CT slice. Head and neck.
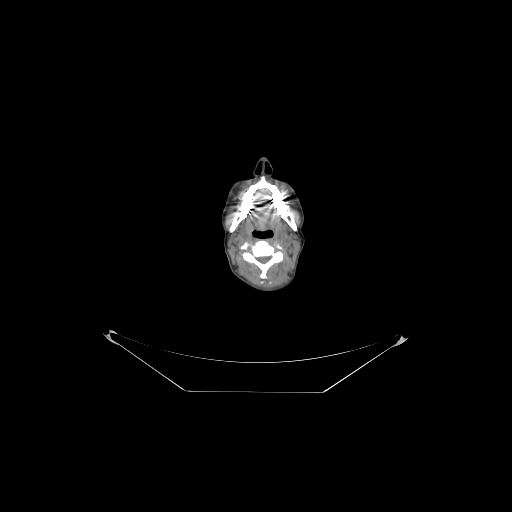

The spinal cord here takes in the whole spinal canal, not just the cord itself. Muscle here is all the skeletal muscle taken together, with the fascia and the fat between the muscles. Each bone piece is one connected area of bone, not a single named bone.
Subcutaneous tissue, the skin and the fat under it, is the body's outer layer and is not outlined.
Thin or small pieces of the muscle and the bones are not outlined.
muscle 1: (263, 190) (267, 192) (262, 197) (265, 200) (272, 201) (277, 213) (297, 233) (300, 240) (299, 249) (288, 280) (273, 287) (255, 285) (240, 275) (237, 272) (237, 267) (232, 262) (228, 250) (230, 233) (247, 216) (253, 206) (254, 200) (257, 198) (257, 192), around a hole outlined by (254, 231) (271, 231) (272, 235) (267, 238) (268, 241) (271, 244) (276, 242) (281, 246) (283, 259) (280, 262) (274, 263) (267, 270) (266, 279) (260, 278) (261, 270) (254, 263) (250, 263) (243, 258) (243, 250) (240, 248) (245, 242) (251, 244) (255, 242) (257, 237)
muscle 2: (258, 177) (259, 177) (256, 181) (251, 183) (245, 190) (241, 191) (240, 204) (238, 208) (230, 214) (231, 219) (230, 224) (227, 229) (225, 224) (225, 220) (229, 207) (234, 203) (232, 200) (233, 197) (238, 192) (240, 189) (240, 186) (243, 183) (248, 181) (252, 181)
muscle 3: (266, 177) (271, 179) (274, 182) (278, 182) (284, 185) (288, 189) (290, 197) (293, 200) (295, 204) (295, 208) (299, 213) (300, 223) (298, 226) (295, 219) (295, 215) (293, 210) (284, 200) (284, 193) (285, 191) (284, 190) (281, 190) (274, 183) (269, 181) (266, 178)
spinal cord: (263, 256) (267, 256) (268, 257) (269, 257) (269, 259) (267, 261) (266, 261) (265, 262) (261, 262) (260, 261) (259, 261) (257, 259) (257, 258) (258, 257) (262, 257)
head and neck: (262, 156) (265, 156) (272, 164) (273, 176) (275, 178) (285, 180) (293, 186) (305, 214) (303, 225) (305, 243) (299, 256) (295, 278) (287, 287) (273, 292) (256, 290) (232, 274) (223, 249) (223, 230) (220, 221) (221, 212) (229, 188) (239, 179) (250, 178) (256, 161); inner edge: (254, 231) (256, 231) (257, 232) (265, 232) (266, 231) (271, 231) (271, 232) (272, 233) (272, 235) (271, 236) (270, 236) (269, 237) (257, 237) (256, 236) (255, 236) (255, 235) (254, 234)
bones 1: (262, 175) (281, 191) (284, 191) (283, 200) (293, 212) (297, 230) (294, 231) (282, 218) (271, 199) (263, 197) (268, 192) (263, 189) (256, 192) (256, 198) (253, 200) (246, 216) (232, 232) (229, 232) (228, 229) (232, 219) (231, 214) (241, 204) (242, 191) (245, 191)
bones 2: (257, 238) (267, 238) (271, 244) (274, 244) (276, 242) (278, 243) (281, 246) (281, 251) (283, 254) (283, 259) (280, 262) (274, 263) (267, 270) (266, 279) (260, 278) (261, 270) (254, 263) (250, 263) (243, 258) (243, 250) (240, 248) (245, 242) (251, 244) (254, 243); inner edge: (263, 256) (267, 256) (268, 257) (269, 257) (269, 259) (267, 261) (266, 261) (265, 262) (261, 262) (260, 261) (259, 261) (257, 259) (257, 258) (258, 257) (262, 257)